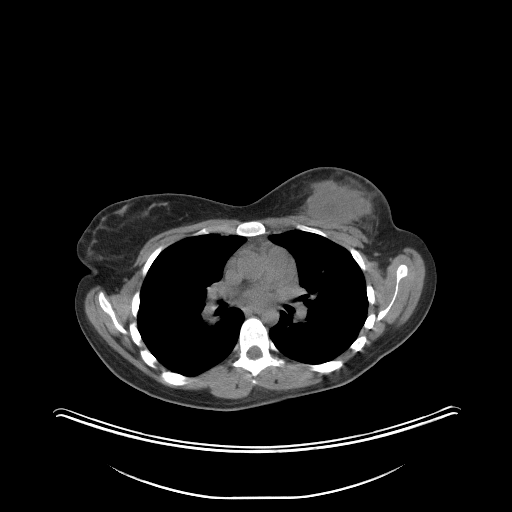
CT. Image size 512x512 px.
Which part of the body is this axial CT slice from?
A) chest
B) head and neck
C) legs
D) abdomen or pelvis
A) chest
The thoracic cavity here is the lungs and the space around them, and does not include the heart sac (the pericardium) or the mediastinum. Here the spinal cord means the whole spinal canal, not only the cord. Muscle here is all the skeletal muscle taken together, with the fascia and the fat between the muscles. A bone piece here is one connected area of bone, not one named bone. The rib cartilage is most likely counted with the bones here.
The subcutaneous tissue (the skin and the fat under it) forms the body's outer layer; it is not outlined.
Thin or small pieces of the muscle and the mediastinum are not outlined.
The spinal cord is outlined by (253, 346) (256, 346) (257, 347) (258, 347) (259, 348) (259, 349) (260, 350) (260, 351) (261, 352) (261, 355) (259, 357) (257, 357) (256, 358) (250, 358) (247, 355) (247, 352) (248, 351) (248, 350) (251, 347) (252, 347). The pericardium is outlined by (258, 242) (271, 242) (275, 246) (279, 246) (287, 251) (293, 259) (295, 266) (295, 288) (292, 295) (284, 303) (281, 303) (276, 305) (265, 305) (264, 306) (237, 305) (232, 302) (227, 297) (226, 289) (223, 282) (223, 270) (228, 259) (233, 254) (244, 247) (249, 246). The mediastinum appears in 2 outlined pieces: piece 1: (296, 267) (299, 284) (299, 293) (292, 303) (284, 305) (284, 309) (282, 309) (279, 312) (278, 321) (269, 329) (258, 317) (254, 315) (245, 319) (242, 310) (236, 306) (229, 305) (224, 298) (224, 287) (226, 297) (237, 306) (264, 307) (284, 304) (293, 295) (296, 288); piece 2: (269, 232) (281, 232) (277, 232) (276, 233) (272, 233) (270, 234) (268, 237) (268, 239) (270, 241) (258, 241) (257, 242) (252, 243) (249, 245) (244, 246) (238, 249) (236, 251) (236, 250) (246, 241) (246, 237) (254, 237) (255, 236) (259, 236) (260, 235) (267, 234). The thoracic cavity appears in 2 outlined pieces: piece 1: (210, 233) (233, 234) (245, 237) (245, 241) (225, 262) (219, 281) (223, 286) (223, 298) (229, 306) (241, 310) (244, 319) (230, 354) (208, 369) (190, 376) (168, 369) (159, 362) (146, 346) (137, 326) (137, 317) (140, 308) (140, 290) (150, 267) (165, 248) (183, 238); piece 2: (292, 229) (320, 235) (348, 250) (362, 271) (365, 281) (367, 315) (358, 335) (348, 348) (335, 358) (319, 363) (300, 362) (282, 355) (269, 336) (269, 330) (279, 321) (280, 312) (285, 309) (285, 305) (292, 304) (300, 293) (294, 257) (287, 249) (269, 239) (272, 234). The muscle is outlined by (298, 214) (358, 228) (367, 240) (362, 252) (381, 267) (404, 247) (415, 249) (425, 264) (423, 288) (412, 314) (335, 378) (280, 391) (254, 387) (247, 396) (236, 399) (172, 388) (152, 379) (114, 350) (86, 316) (84, 299) (88, 290) (99, 285) (116, 293) (139, 268) (134, 263) (151, 237) (208, 219) (237, 219) (242, 221) (234, 227) (228, 223) (203, 226) (167, 246) (156, 247) (141, 268) (141, 287) (130, 300) (130, 311) (136, 320) (127, 329) (102, 290) (97, 294) (100, 308) (119, 332) (129, 334) (149, 367) (156, 369) (161, 364) (167, 369) (163, 368) (159, 377) (171, 386) (193, 382) (194, 376) (229, 356) (229, 365) (249, 372) (253, 385) (265, 368) (283, 368) (286, 358) (321, 374) (339, 370) (344, 361) (337, 357) (347, 349) (361, 351) (368, 341) (365, 334) (359, 334) (361, 329) (372, 329) (390, 310) (399, 283) (408, 274) (408, 266) (397, 266) (394, 290) (387, 305) (377, 313) (368, 313) (369, 305) (376, 301) (375, 291) (370, 283) (366, 284) (363, 272) (367, 267) (356, 248) (347, 249) (323, 230) (300, 222) (295, 222) (291, 229) (268, 231) (259, 220). The bones appear in 12 outlined pieces: piece 1: (253, 316) (258, 318) (262, 322) (268, 330) (268, 336) (286, 360) (286, 363) (283, 367) (270, 365) (261, 370) (255, 377) (257, 381) (256, 384) (253, 384) (251, 382) (253, 377) (249, 371) (241, 367) (234, 367) (228, 362) (232, 350) (238, 340) (240, 328) (244, 320), around a hole outlined by (253, 346) (256, 346) (257, 347) (258, 347) (259, 348) (259, 349) (260, 350) (260, 351) (261, 352) (261, 355) (259, 357) (257, 357) (256, 358) (250, 358) (247, 355) (247, 352) (248, 351) (248, 350) (251, 347) (252, 347); piece 2: (101, 291) (109, 301) (118, 322) (125, 329) (127, 330) (129, 324) (136, 321) (137, 329) (145, 346) (159, 363) (156, 368) (152, 368) (142, 359) (140, 355) (141, 348) (135, 344) (130, 334) (119, 331) (114, 326) (110, 316) (101, 308) (98, 298) (98, 294); piece 3: (250, 220) (260, 221) (265, 226) (266, 230) (268, 232) (267, 233) (254, 236) (244, 236) (233, 233) (223, 234) (218, 232) (210, 232) (200, 235) (191, 235) (192, 233) (201, 229) (203, 227) (207, 227) (211, 225) (218, 225) (219, 224) (228, 224) (234, 228) (240, 223); piece 4: (400, 264) (404, 264) (407, 266) (407, 274) (402, 277) (398, 283) (398, 291) (392, 305) (386, 314) (380, 320) (376, 320) (374, 322) (372, 328) (370, 329) (362, 328) (368, 314) (370, 313) (377, 314) (381, 310) (384, 309) (391, 300) (391, 298) (395, 290) (396, 270); piece 5: (163, 369) (165, 370) (169, 370) (170, 371) (172, 371) (173, 372) (175, 372) (182, 375) (185, 375) (186, 376) (189, 376) (190, 377) (194, 377) (195, 379) (193, 381) (191, 381) (183, 385) (171, 385) (170, 384) (165, 383) (163, 381) (162, 381) (160, 377) (160, 373); piece 6: (336, 358) (338, 359) (341, 359) (343, 361) (343, 365) (339, 369) (334, 370) (329, 373) (321, 373) (317, 371) (313, 371) (309, 369) (306, 366) (299, 364) (299, 363) (304, 363) (305, 364) (319, 364) (320, 363) (323, 363) (324, 362) (327, 362) (328, 361) (333, 360); piece 7: (160, 245) (165, 245) (166, 246) (166, 247) (165, 247) (158, 254) (158, 255) (152, 262) (151, 265) (149, 267) (149, 268) (148, 269) (148, 270) (144, 277) (142, 275) (142, 268) (143, 267) (145, 262) (147, 260) (148, 257) (150, 255) (150, 254) (156, 248) (157, 248); piece 8: (359, 335) (365, 335) (365, 336) (366, 337) (366, 338) (367, 339) (367, 341) (364, 344) (364, 345) (363, 346) (363, 347) (361, 349) (361, 350) (360, 350) (359, 351) (357, 351) (356, 352) (354, 352) (353, 351) (352, 351) (349, 348) (349, 346) (355, 340) (355, 339); piece 9: (295, 223) (300, 223) (301, 224) (303, 224) (304, 225) (306, 225) (310, 227) (317, 228) (323, 231) (327, 235) (327, 237) (325, 237) (317, 233) (314, 233) (313, 232) (310, 232) (309, 231) (305, 231) (304, 230) (297, 229) (295, 228) (294, 226) (294, 224); piece 10: (138, 290) (139, 291) (139, 308) (138, 309) (138, 311) (137, 312) (137, 316) (136, 317) (136, 318) (135, 318) (133, 316) (133, 315) (132, 314) (132, 312) (131, 311) (131, 300) (132, 299) (132, 297) (133, 296) (133, 295) (135, 293) (135, 292) (136, 291) (137, 291); piece 11: (350, 247) (356, 249) (360, 253) (360, 254) (363, 259) (363, 261) (365, 264) (365, 266) (366, 267) (366, 268) (364, 271) (363, 271) (361, 269) (361, 268) (359, 266) (359, 265) (353, 258) (353, 257) (352, 256) (351, 253) (349, 251) (349, 250) (348, 249); piece 12: (367, 284) (370, 284) (372, 286) (372, 287) (373, 288) (373, 290) (374, 291) (374, 296) (375, 297) (375, 301) (374, 302) (374, 303) (372, 305) (371, 305) (370, 304) (369, 304) (369, 303) (368, 302) (368, 300) (367, 299) (367, 293) (366, 292) (366, 285). The torso is outlined by (318, 166) (346, 168) (372, 181) (385, 195) (393, 222) (418, 235) (433, 256) (437, 283) (432, 304) (401, 345) (344, 385) (233, 411) (163, 401) (128, 385) (106, 367) (84, 336) (74, 309) (78, 282) (88, 272) (77, 257) (76, 244) (99, 210) (163, 192) (245, 205).